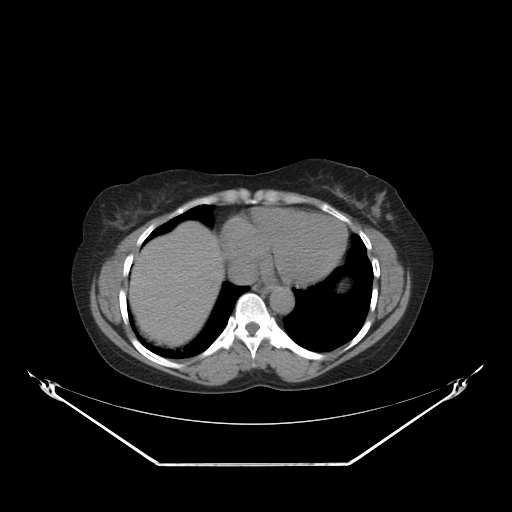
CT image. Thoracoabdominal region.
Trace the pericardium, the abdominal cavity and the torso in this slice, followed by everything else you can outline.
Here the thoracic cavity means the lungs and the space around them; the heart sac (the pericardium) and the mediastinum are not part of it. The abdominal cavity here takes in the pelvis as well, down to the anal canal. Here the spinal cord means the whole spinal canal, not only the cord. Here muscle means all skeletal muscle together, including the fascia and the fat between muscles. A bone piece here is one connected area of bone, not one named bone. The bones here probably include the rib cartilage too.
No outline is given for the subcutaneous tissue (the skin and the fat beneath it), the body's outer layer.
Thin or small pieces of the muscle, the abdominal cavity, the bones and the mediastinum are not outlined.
Outlines:
pericardium: 265,204 269,204 271,206 309,208 333,216 343,222 347,227 348,241 341,263 321,281 306,288 297,288 281,281 266,278 260,273 257,267 250,263 230,263 228,252 216,231 220,223 224,217 233,210
abdominal cavity 1: 189,219 198,220 217,232 231,264 225,264 227,277 231,281 225,280 222,283 213,309 201,331 182,349 164,349 146,341 138,333 132,313 128,307 127,277 134,256 142,244 145,244 155,236 168,232 178,223
abdominal cavity 2: 345,276 347,276 351,279 351,281 352,282 352,284 351,285 351,288 349,290 349,291 345,295 344,295 340,298 336,298 334,296 334,290 335,289 335,286 336,285 337,282 341,278 343,278
torso: 312,157 357,166 390,183 431,243 433,269 421,309 409,335 392,359 368,375 319,388 283,391 257,386 221,394 157,387 110,367 82,324 70,281 72,260 82,239 82,220 95,196 108,186 168,169 253,174
thoracic cavity 1: 354,233 359,236 365,246 373,274 369,309 366,318 361,327 348,342 329,351 319,352 310,350 298,344 283,328 284,318 289,315 296,306 296,297 293,289 306,289 321,282 336,267 343,265 351,246 351,236, around a hole outlined by 345,276 347,276 351,279 351,281 352,282 352,284 351,285 351,288 349,290 349,291 345,295 344,295 340,298 336,298 334,296 334,290 335,289 335,286 336,285 337,282 341,278 343,278
thoracic cavity 2: 225,281 229,281 239,286 247,286 248,290 237,298 233,312 228,317 226,324 220,333 198,354 187,358 170,359 150,350 137,338 130,325 128,313 129,308 135,329 146,342 164,350 182,350 202,331 206,325
thoracic cavity 3: 199,205 212,205 213,207 211,212 211,215 212,216 212,226 207,225 198,219 192,219 191,218 184,219 178,222 168,231 155,235 143,244 143,242 157,227 163,224 168,220 178,215 182,214 191,208 193,208
mediastinum 1: 226,264 250,264 257,268 259,273 264,278 276,282 281,282 295,288 292,289 295,297 295,306 292,311 283,318 282,327 270,314 264,300 258,294 248,291 249,287 247,285 239,285 232,282 228,277
mediastinum 2: 238,202 243,202 245,204 258,204 262,202 264,204 252,205 247,207 241,207 237,209 233,209 223,217 219,223 217,229 215,229 213,227 213,216 212,215 212,212 214,208 213,205 214,204 219,205 233,204
mediastinum 3: 346,224 349,226 349,227 351,228 351,229 354,232 350,236 350,238 351,239 350,246 348,251 346,253 346,255 345,256 345,260 343,263 342,263 342,260 348,247 348,242 349,241 349,231 348,230 348,227
muscle 1: 173,210 166,221 158,226 152,222 137,237 135,255 128,253 122,264 126,289 118,291 122,321 135,335 129,338 131,344 156,364 181,369 185,364 173,360 228,350 236,338 252,360 264,339 277,349 316,361 324,360 325,352 345,344 341,349 345,352 357,344 372,325 367,316 378,300 373,281 380,276 380,263 375,256 368,256 372,249 369,237 360,228 355,232 350,227 352,221 338,210 381,232 405,260 411,273 406,309 374,344 304,381 288,382 275,373 252,368 224,384 205,385 159,370 123,351 103,333 91,313 89,297 92,279 114,247 151,219
muscle 2: 276,190 282,190 283,191 289,191 290,192 295,192 296,193 298,193 299,194 302,194 303,195 306,195 310,197 314,197 315,198 317,198 320,200 322,200 324,201 315,201 314,202 314,204 315,206 314,206 313,205 310,205 307,203 305,203 307,203 310,200 308,198 304,196 302,196 301,195 298,195 297,194 292,194 291,193 280,193 277,190
spinal cord: 250,322 254,322 255,323 256,323 258,325 258,328 257,329 257,330 253,334 250,334 249,333 249,332 246,329 246,325 248,323 249,323
bones 1: 247,292 254,293 263,300 269,314 298,345 310,351 323,353 326,355 325,358 308,359 288,348 277,348 264,338 252,359 247,346 236,337 228,349 221,347 209,355 199,357 198,355 226,326 238,298 with a hole at 250,322 254,322 255,323 256,323 258,325 258,328 257,329 257,330 253,334 250,334 249,333 249,332 246,329 246,325 248,323 249,323
bones 2: 232,189 245,189 251,193 258,190 275,190 280,194 297,195 309,200 304,203 289,204 281,201 245,203 241,200 225,203 220,200 213,204 196,205 167,219 178,207 190,200 208,195 219,196 224,191
bones 3: 131,337 136,337 136,338 146,348 150,351 155,353 157,355 159,355 164,358 172,360 175,362 183,363 184,364 184,366 181,368 172,368 171,367 161,365 150,360 137,350 137,349 132,344 130,340 130,338
bones 4: 315,202 325,202 331,205 339,212 340,212 343,215 344,215 347,218 348,218 351,221 351,224 350,225 348,225 345,222 342,221 337,217 335,217 333,215 331,215 324,211 322,211 316,206 315,204
bones 5: 366,319 370,319 371,320 371,325 370,326 369,329 365,334 365,335 357,343 356,343 353,346 352,346 350,348 349,348 347,350 346,350 345,351 342,351 342,349 356,335 356,334 359,331 359,330 364,324
bones 6: 121,289 123,289 125,291 125,293 126,294 126,301 127,302 127,313 128,314 128,320 129,321 129,324 127,325 126,325 123,321 123,319 122,318 122,315 121,314 121,311 120,310 120,306 119,305 119,291
bones 7: 152,223 156,223 157,224 157,226 148,235 148,236 142,242 142,243 141,244 141,245 140,245 139,246 137,246 137,245 136,244 136,242 137,241 137,239 138,238 138,237 141,234 141,233 148,226 149,226
bones 8: 130,253 132,253 133,254 133,260 132,261 132,263 130,266 130,268 129,269 129,272 128,273 127,276 126,277 124,277 123,276 123,264 124,263 124,260 125,259 126,256 128,254 129,254
bones 9: 373,286 375,286 376,287 377,287 377,300 376,301 376,303 375,304 375,308 374,309 374,310 372,312 371,312 369,310 370,309 370,302 371,301 371,296 372,295 372,289 373,288
bones 10: 360,229 361,230 362,230 364,232 364,233 368,237 368,238 371,243 371,249 370,250 367,250 367,249 366,248 366,246 364,244 364,243 363,242 362,239 360,237 360,236 357,233 358,232 358,231
bones 11: 373,257 375,257 378,260 378,262 379,263 379,276 378,277 375,277 374,276 374,274 373,273 373,268 372,267 372,264 371,263 371,258 372,258